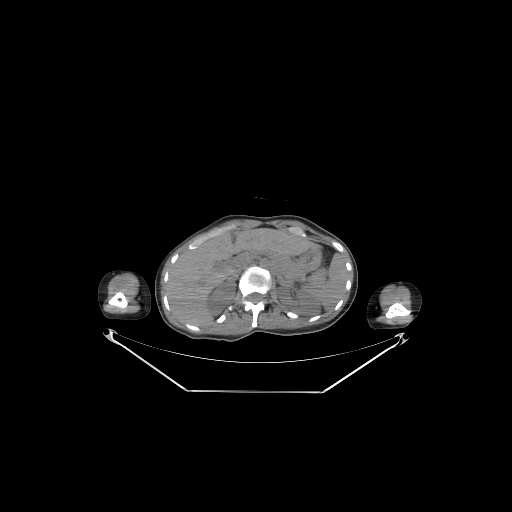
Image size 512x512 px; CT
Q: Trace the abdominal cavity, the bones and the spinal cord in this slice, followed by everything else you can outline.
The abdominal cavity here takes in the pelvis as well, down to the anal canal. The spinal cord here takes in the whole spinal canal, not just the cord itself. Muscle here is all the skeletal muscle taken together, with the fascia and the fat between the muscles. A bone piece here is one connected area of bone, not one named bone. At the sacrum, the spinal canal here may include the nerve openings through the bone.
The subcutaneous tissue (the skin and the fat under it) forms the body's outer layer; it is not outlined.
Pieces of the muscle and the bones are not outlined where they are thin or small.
A: Outlined structures:
abdominal cavity: [[261,225],[288,228],[339,252],[348,276],[344,282],[345,291],[333,307],[309,316],[298,314],[278,299],[277,281],[271,272],[256,264],[244,269],[238,280],[237,290],[216,321],[201,326],[176,321],[166,292],[170,271],[179,257],[208,238]]
bones 1: [[256,265],[266,268],[270,272],[271,286],[264,296],[254,291],[246,297],[248,301],[254,304],[264,299],[265,301],[264,308],[257,315],[257,326],[253,328],[251,326],[252,312],[244,309],[241,303],[242,294],[238,288],[238,284],[245,269],[249,266]]
bones 2: [[395,302],[400,302],[407,309],[410,310],[410,313],[408,315],[406,315],[405,316],[395,316],[394,317],[392,317],[391,318],[387,318],[385,316],[385,313],[387,311],[387,310],[388,309],[389,306],[390,306],[393,303],[394,303]]
bones 3: [[227,226],[233,226],[226,231],[220,234],[208,237],[206,239],[202,241],[195,248],[193,249],[188,249],[188,246],[189,244],[191,243],[195,239],[197,239],[205,235],[210,231],[215,230],[218,228],[221,228],[222,227],[226,227]]
bones 4: [[117,291],[121,291],[124,294],[124,295],[126,297],[126,299],[127,300],[127,305],[125,307],[123,307],[122,308],[121,307],[118,307],[117,306],[115,306],[114,305],[111,305],[110,304],[109,304],[108,303],[108,301],[109,300],[109,299]]
bones 5: [[333,240],[335,240],[336,241],[337,241],[338,242],[339,242],[343,246],[343,247],[344,248],[344,250],[342,252],[340,252],[339,251],[338,251],[336,249],[335,249],[332,246],[332,241]]
bones 6: [[290,227],[298,227],[299,228],[300,228],[306,234],[306,235],[305,236],[303,236],[302,235],[301,235],[300,234],[299,234],[298,233],[297,233],[296,232],[295,232],[294,231],[292,231],[291,230],[290,230],[289,229],[289,228]]
bones 7: [[166,293],[167,293],[167,296],[168,297],[168,305],[169,306],[169,309],[170,310],[170,311],[169,310],[167,310],[165,308],[165,306],[164,305],[164,304],[163,303],[163,301],[162,300],[162,298],[163,297],[163,296]]
bones 8: [[187,324],[188,325],[190,325],[191,326],[196,326],[197,327],[199,327],[199,331],[198,332],[196,332],[195,331],[193,331],[192,330],[190,330],[185,325],[186,325]]
bones 9: [[288,311],[292,311],[293,312],[294,312],[295,313],[296,313],[298,315],[298,316],[296,318],[292,318],[291,317],[290,317],[289,316],[288,316],[287,315],[287,314],[286,313]]
bones 10: [[175,253],[177,253],[178,254],[178,258],[177,259],[177,260],[173,264],[172,264],[171,263],[171,257],[172,256],[172,255],[173,254],[174,254]]
bones 11: [[341,298],[343,300],[343,302],[342,303],[342,304],[340,306],[340,307],[338,309],[334,309],[334,306],[339,301],[339,300]]
bones 12: [[317,314],[319,314],[320,315],[321,315],[320,316],[320,317],[319,318],[318,318],[317,319],[316,319],[315,320],[314,320],[313,321],[309,321],[309,320],[308,319],[311,316],[313,316],[314,315],[316,315]]
bones 13: [[346,262],[347,262],[348,262],[349,262],[350,263],[351,264],[351,265],[352,266],[352,267],[352,268],[352,269],[351,270],[350,271],[349,271],[348,271],[347,270],[346,270],[346,269],[346,268],[345,267],[345,266],[345,265],[345,264],[345,263]]
bones 14: [[223,313],[224,314],[225,315],[225,316],[225,317],[225,318],[225,319],[224,320],[223,321],[222,321],[221,322],[220,322],[219,322],[218,322],[217,322],[217,321],[218,320],[218,319],[219,318],[220,317],[221,316],[221,315],[222,314]]
spinal cord: [[254,292],[256,292],[257,293],[259,293],[260,294],[263,295],[263,299],[262,299],[261,300],[258,301],[256,303],[254,303],[253,302],[252,302],[251,301],[248,300],[247,299],[247,297],[248,296],[248,295],[249,295],[250,294],[251,294]]
right arm: [[114,269],[130,269],[131,270],[134,270],[141,274],[146,280],[151,294],[151,310],[149,314],[144,318],[142,318],[137,321],[122,321],[121,320],[113,320],[110,321],[107,318],[103,316],[101,313],[97,301],[97,286],[102,276],[107,272]]
muscle 1: [[272,276],[276,281],[276,297],[291,310],[285,313],[292,319],[299,315],[313,322],[321,317],[320,313],[332,307],[338,310],[344,302],[345,292],[350,290],[350,293],[339,312],[325,322],[293,329],[259,328],[258,315],[265,308],[264,297],[272,286]]
muscle 2: [[238,289],[241,294],[240,303],[243,309],[251,312],[250,326],[252,329],[237,335],[220,335],[219,334],[206,334],[190,332],[174,325],[167,318],[162,306],[162,301],[164,308],[171,312],[176,322],[184,325],[190,331],[192,331],[193,332],[195,332],[198,333],[199,332],[200,331],[200,327],[215,322],[221,323],[226,319],[223,312]]
muscle 3: [[232,219],[252,219],[260,221],[270,221],[277,219],[297,220],[304,223],[318,232],[327,235],[334,239],[331,241],[331,246],[330,246],[308,237],[307,234],[298,226],[290,226],[286,228],[280,228],[269,224],[261,224],[253,227],[239,228],[227,231],[234,226],[233,225],[227,225],[210,230],[205,234],[195,238],[188,244],[187,251],[182,253],[179,256],[179,254],[177,252],[173,253],[187,241],[225,221]]
muscle 4: [[121,273],[130,273],[131,274],[133,274],[139,281],[139,290],[140,291],[140,295],[141,296],[141,304],[140,305],[141,306],[141,308],[135,313],[109,313],[105,311],[103,308],[104,300],[107,295],[107,286],[109,281],[115,275],[117,274],[120,274]] with a hole at [[117,291],[121,291],[124,294],[124,295],[126,297],[126,299],[127,300],[127,305],[125,307],[123,307],[122,308],[121,307],[118,307],[117,306],[115,306],[114,305],[111,305],[110,304],[109,304],[108,303],[108,301],[109,300],[109,299]]
muscle 5: [[390,285],[395,285],[396,286],[405,286],[407,287],[410,291],[411,300],[412,301],[412,316],[411,318],[405,323],[401,323],[400,324],[387,324],[386,323],[377,322],[375,320],[375,318],[380,313],[380,307],[379,306],[379,295],[381,291],[385,287]] with a hole at [[395,302],[400,302],[407,309],[410,310],[410,313],[408,315],[406,315],[405,316],[395,316],[394,317],[392,317],[391,318],[387,318],[385,316],[385,313],[387,311],[387,310],[388,309],[389,306],[390,306],[393,303],[394,303]]
muscle 6: [[171,255],[170,257],[170,263],[172,265],[172,266],[169,272],[167,270],[164,273],[164,275],[163,276],[163,281],[166,284],[166,291],[162,296],[161,298],[161,300],[161,297],[160,296],[160,278],[161,277],[161,272],[163,269],[163,267],[167,259]]
muscle 7: [[345,249],[347,251],[347,252],[348,253],[348,254],[350,257],[350,259],[351,260],[351,263],[349,261],[346,261],[345,262],[344,262],[344,260],[343,259],[343,258],[342,257],[342,256],[340,253],[342,253],[345,250]]
torso: [[233,213],[260,216],[295,214],[310,219],[340,237],[351,250],[358,269],[357,293],[346,313],[334,324],[321,331],[299,335],[256,332],[230,342],[210,339],[194,340],[168,327],[159,314],[154,294],[155,274],[161,260],[172,247],[199,228],[216,218]]
left arm: [[397,280],[405,280],[411,282],[419,289],[422,296],[422,304],[421,305],[420,311],[416,318],[403,329],[374,330],[368,325],[366,319],[366,306],[368,300],[371,294],[379,286],[382,284],[388,282],[391,282],[392,281],[396,281]]